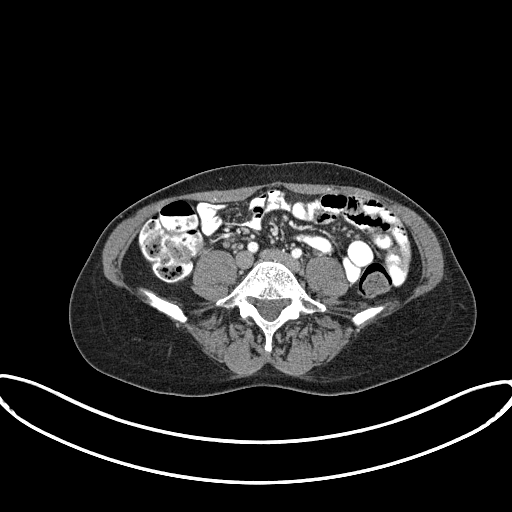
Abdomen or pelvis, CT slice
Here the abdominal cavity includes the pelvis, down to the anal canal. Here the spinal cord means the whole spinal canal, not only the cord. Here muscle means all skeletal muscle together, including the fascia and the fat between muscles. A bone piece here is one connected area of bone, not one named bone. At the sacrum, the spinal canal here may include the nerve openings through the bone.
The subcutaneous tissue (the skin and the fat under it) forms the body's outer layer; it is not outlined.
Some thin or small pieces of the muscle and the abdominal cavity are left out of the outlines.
{"bones":[{"outer":[[267,352],[272,349],[274,332],[286,321],[298,318],[301,313],[310,314],[326,310],[324,304],[305,293],[291,270],[282,263],[274,261],[260,261],[226,296],[218,299],[215,303],[217,307],[227,309],[237,307],[243,319],[251,317],[264,334],[264,349]],"hole":[[268,320],[273,320],[277,316],[280,310],[282,308],[283,308],[288,303],[288,300],[287,299],[281,299],[280,300],[258,300],[257,299],[253,299],[252,300],[253,301],[253,303],[257,307],[257,308],[259,310],[260,313],[263,316],[263,317]]},[[180,322],[185,322],[187,320],[187,316],[179,306],[171,301],[169,301],[162,297],[158,296],[155,293],[148,289],[146,289],[145,288],[140,288],[140,290],[142,293],[148,299],[148,304],[150,306],[155,308],[158,311],[167,315],[172,319],[177,320]],[[356,326],[358,326],[362,324],[366,320],[373,317],[375,315],[379,313],[384,308],[384,306],[383,305],[378,305],[377,306],[368,307],[354,314],[352,316],[351,318],[351,320],[354,324],[354,325]]],"abdominal_cavity":[{"outer":[[341,306],[402,300],[421,271],[405,223],[386,204],[357,193],[305,195],[273,187],[238,202],[173,200],[144,223],[124,259],[130,285],[185,303],[204,301],[191,282],[197,260],[212,250],[225,250],[236,259],[238,283],[260,260],[280,261],[308,295]],"hole":[[328,297],[340,297],[342,296],[347,290],[347,287],[348,285],[343,275],[343,271],[341,268],[341,266],[335,260],[328,257],[311,258],[307,262],[305,266],[304,278],[308,282],[308,284],[311,290],[313,292],[318,294],[321,294],[324,296],[327,296]]}],"muscle":[{"outer":[[296,377],[324,367],[372,323],[431,291],[443,279],[439,242],[414,211],[358,187],[273,181],[164,198],[140,208],[112,231],[102,250],[104,276],[115,287],[147,304],[139,287],[125,281],[123,259],[143,223],[168,201],[238,201],[263,187],[283,186],[305,194],[331,189],[352,191],[389,205],[410,228],[422,261],[419,282],[402,301],[390,298],[349,307],[326,305],[324,313],[301,314],[275,332],[273,349],[267,353],[263,349],[263,334],[251,318],[243,320],[237,308],[227,310],[214,305],[237,283],[237,264],[229,253],[215,250],[198,260],[192,288],[204,302],[185,304],[176,298],[165,298],[179,305],[188,316],[185,323],[166,316],[224,369],[254,373],[268,363]],"hole":[[356,326],[358,326],[362,324],[366,320],[373,317],[375,315],[379,313],[384,308],[384,306],[383,305],[378,305],[377,306],[368,307],[354,314],[352,316],[351,318],[351,320],[354,324],[354,325]]},[[328,297],[340,297],[342,296],[347,290],[347,287],[348,285],[343,275],[343,271],[341,268],[341,266],[335,260],[328,257],[311,258],[307,262],[305,266],[304,278],[308,282],[308,284],[311,290],[313,292],[318,294],[321,294],[324,296],[327,296]]],"torso":[[[186,397],[256,386],[316,395],[351,394],[397,380],[458,352],[473,333],[477,310],[471,286],[444,230],[425,209],[393,186],[358,169],[324,161],[221,166],[178,180],[134,202],[106,225],[75,280],[68,307],[71,335],[83,358],[101,373],[152,392]]],"spinal_cord":[[[268,320],[273,320],[277,316],[280,310],[282,308],[283,308],[288,303],[288,300],[287,299],[281,299],[280,300],[258,300],[257,299],[253,299],[252,300],[253,301],[253,303],[257,307],[257,308],[259,310],[260,313],[263,316],[263,317]]]}